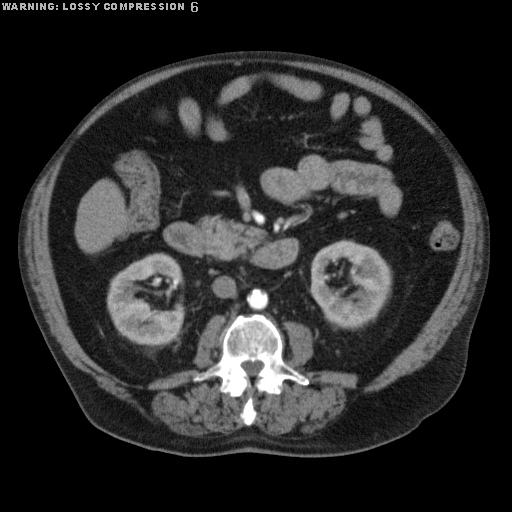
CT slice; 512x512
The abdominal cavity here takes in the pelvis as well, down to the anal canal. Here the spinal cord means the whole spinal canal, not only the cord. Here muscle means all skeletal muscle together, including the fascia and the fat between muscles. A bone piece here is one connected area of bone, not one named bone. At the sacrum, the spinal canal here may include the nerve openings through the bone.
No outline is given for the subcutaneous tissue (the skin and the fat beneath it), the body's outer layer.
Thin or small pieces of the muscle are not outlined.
{"spinal_cord":[[[245,361],[251,361],[252,362],[253,362],[254,361],[260,361],[261,362],[262,362],[262,363],[263,364],[263,366],[262,367],[262,368],[257,373],[257,374],[255,377],[250,377],[248,375],[248,374],[246,372],[246,371],[242,367],[241,364]]],"bones":[{"outer":[[239,314],[261,314],[270,319],[281,334],[284,362],[309,380],[309,384],[302,385],[285,379],[279,394],[255,389],[252,397],[256,415],[251,425],[244,424],[240,417],[248,397],[246,391],[236,397],[221,392],[218,376],[193,381],[220,359],[224,332]],"hole":[[245,361],[251,361],[252,362],[253,362],[254,361],[260,361],[261,362],[262,362],[262,363],[263,364],[263,366],[262,367],[262,368],[257,373],[257,374],[255,377],[250,377],[248,375],[248,374],[246,372],[246,371],[242,367],[241,364]]}],"torso":[[[246,49],[318,55],[391,83],[443,130],[486,203],[490,267],[461,384],[441,409],[409,434],[369,450],[331,457],[253,452],[187,457],[115,438],[93,426],[81,411],[23,289],[17,261],[21,207],[37,174],[79,120],[115,87],[146,70],[200,54]]],"muscle":[[[241,58],[323,64],[359,74],[392,90],[421,114],[463,167],[476,193],[483,224],[481,274],[466,311],[442,347],[425,365],[378,391],[351,391],[341,413],[312,435],[293,430],[272,436],[252,425],[257,415],[253,397],[255,390],[279,395],[285,380],[302,386],[310,384],[308,377],[283,358],[284,322],[303,324],[311,332],[313,354],[303,366],[306,370],[353,373],[357,376],[357,385],[363,386],[415,339],[448,288],[460,256],[464,220],[452,163],[436,138],[390,101],[335,76],[284,63],[244,61],[238,65],[231,62],[202,65],[162,79],[114,105],[83,132],[61,164],[49,204],[47,236],[67,323],[79,345],[104,370],[128,384],[145,387],[156,379],[195,369],[193,360],[206,324],[216,314],[225,316],[227,326],[221,338],[219,359],[194,375],[192,381],[218,377],[221,393],[236,398],[246,392],[247,397],[239,413],[245,426],[229,434],[179,434],[162,422],[146,418],[132,405],[98,386],[88,373],[69,360],[51,333],[27,273],[24,238],[34,190],[83,123],[109,99],[147,76],[194,62]]],"abdominal_cavity":[[[244,62],[311,70],[371,92],[419,123],[451,163],[463,220],[453,274],[414,339],[363,385],[353,372],[306,369],[310,328],[286,320],[285,340],[261,313],[228,325],[212,315],[195,368],[145,386],[96,363],[68,323],[48,219],[74,144],[162,80]]]}